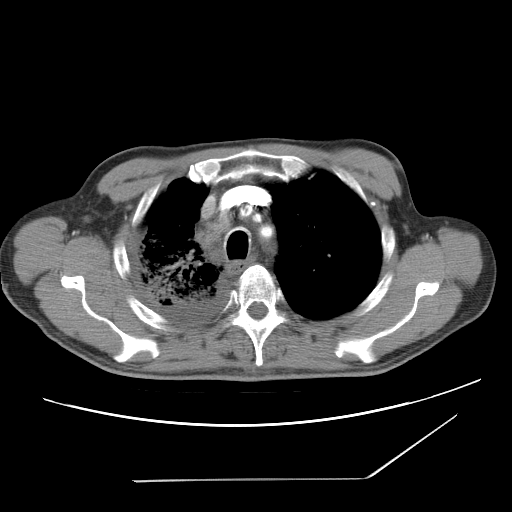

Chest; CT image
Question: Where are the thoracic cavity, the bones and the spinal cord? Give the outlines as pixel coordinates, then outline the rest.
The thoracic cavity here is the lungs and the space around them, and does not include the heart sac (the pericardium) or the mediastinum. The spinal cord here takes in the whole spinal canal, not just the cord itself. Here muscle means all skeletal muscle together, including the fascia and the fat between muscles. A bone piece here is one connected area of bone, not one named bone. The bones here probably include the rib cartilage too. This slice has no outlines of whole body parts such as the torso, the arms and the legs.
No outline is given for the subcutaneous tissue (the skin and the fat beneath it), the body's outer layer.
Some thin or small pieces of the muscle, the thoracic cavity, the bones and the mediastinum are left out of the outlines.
Answer: The thoracic cavity appears in 2 outlined pieces: piece 1: 314 169; 332 173; 353 191; 371 211; 380 232; 381 264; 377 282; 353 309; 328 319; 312 319; 293 311; 278 285; 275 274; 280 244; 272 217; 274 200; 268 187; 276 184; 287 185; 306 175; 310 180; 315 175; 310 171; piece 2: 181 177; 206 186; 207 194; 200 205; 199 216; 194 222; 194 237; 209 255; 209 261; 218 269; 221 267; 237 282; 236 287; 229 292; 220 313; 189 322; 168 319; 149 305; 134 288; 131 271; 131 246; 139 226; 156 198; 172 181. The bones appear in 10 outlined pieces: piece 1: 254 264; 262 265; 269 272; 281 289; 291 310; 289 311; 290 322; 278 324; 264 340; 262 345; 263 362; 260 366; 255 364; 255 349; 249 335; 238 325; 223 328; 221 323; 225 316; 221 311; 229 299; 230 292; 237 287; 241 274 with a hole at 254 302; 256 302; 257 303; 262 303; 266 307; 266 308; 267 309; 267 311; 264 315; 264 316; 263 316; 259 319; 256 319; 255 318; 252 317; 249 314; 249 313; 248 312; 248 308; 251 305; 251 304; 252 304; piece 2: 248 148; 275 155; 294 155; 303 159; 310 166; 309 172; 303 176; 288 182; 284 182; 276 177; 267 177; 260 174; 246 174; 239 178; 230 177; 208 185; 204 183; 193 182; 186 176; 191 164; 209 158; 224 157; piece 3: 62 275; 83 276; 85 298; 90 308; 109 319; 125 333; 153 339; 157 343; 159 354; 153 358; 148 351; 139 351; 124 362; 114 360; 112 357; 122 349; 123 343; 120 336; 107 323; 91 316; 84 309; 79 290; 62 286; 60 281; piece 4: 420 281; 438 281; 437 291; 432 295; 421 296; 417 301; 415 312; 409 320; 372 343; 371 350; 377 359; 376 361; 365 363; 355 354; 349 352; 345 352; 341 357; 335 354; 334 351; 340 341; 369 337; 400 320; 411 309; 415 288; piece 5: 128 295; 132 295; 134 297; 138 299; 147 307; 150 308; 152 310; 155 311; 157 313; 167 319; 168 321; 167 325; 171 329; 171 330; 162 330; 158 328; 155 328; 142 321; 133 312; 133 311; 129 306; 126 300; 126 297; piece 6: 387 272; 391 272; 393 274; 393 276; 392 277; 391 282; 388 287; 388 289; 384 296; 376 305; 375 305; 370 310; 367 311; 364 314; 362 315; 355 315; 356 307; 370 293; 370 292; 374 288; 378 281; piece 7: 159 180; 161 180; 161 184; 160 185; 160 187; 159 188; 159 192; 157 196; 153 201; 148 211; 146 213; 143 221; 138 226; 133 228; 131 225; 131 220; 133 217; 133 215; 136 209; 136 207; 142 195; 148 188; 154 185; piece 8: 118 239; 121 239; 123 241; 125 245; 125 248; 126 249; 128 260; 130 264; 130 272; 126 275; 125 279; 123 279; 120 276; 119 273; 117 271; 115 267; 115 264; 114 263; 114 260; 113 259; 113 246; 114 245; 115 241; piece 9: 334 165; 335 166; 343 168; 346 170; 357 181; 361 187; 362 190; 364 192; 367 198; 367 200; 369 202; 373 202; 374 204; 373 205; 367 205; 353 190; 352 190; 336 175; 335 175; 332 172; 332 170; 331 169; 331 167; piece 10: 385 223; 391 226; 394 230; 394 233; 395 234; 395 245; 394 246; 393 251; 391 254; 391 256; 389 258; 389 259; 386 261; 383 261; 382 260; 382 245; 381 244; 381 232; 380 231; 380 229; 383 225; 383 224. The spinal cord is outlined by 254 302; 256 302; 257 303; 262 303; 266 307; 266 308; 267 309; 267 311; 264 315; 264 316; 263 316; 259 319; 256 319; 255 318; 252 317; 249 314; 249 313; 248 312; 248 308; 251 305; 251 304; 252 304. The mediastinum is outlined by 246 175; 276 178; 288 183; 270 184; 267 187; 273 200; 271 217; 279 244; 279 254; 274 263; 277 284; 270 272; 260 263; 249 265; 237 281; 221 266; 218 268; 210 261; 210 255; 195 237; 195 222; 208 194; 207 186. The muscle is outlined by 259 143; 325 150; 359 147; 386 157; 402 189; 400 197; 387 202; 393 227; 386 222; 379 227; 368 206; 375 203; 343 167; 334 164; 331 172; 311 170; 297 155; 252 147; 198 160; 159 194; 159 179; 141 195; 130 220; 133 229; 138 227; 130 263; 124 241; 118 238; 113 243; 112 259; 119 276; 125 280; 131 272; 133 288; 153 309; 132 294; 125 297; 128 306; 142 322; 162 331; 172 330; 168 320; 189 323; 224 315; 221 327; 238 326; 248 335; 254 364; 260 367; 265 340; 278 325; 291 322; 290 311; 293 318; 312 320; 328 320; 355 308; 355 316; 364 315; 389 289; 394 274; 387 271; 378 278; 382 261; 390 259; 396 241; 401 254; 428 236; 435 238; 440 227; 454 227; 479 239; 483 264; 475 284; 465 290; 455 314; 441 328; 394 350; 379 365; 268 371; 125 368; 60 331; 18 279; 13 239; 32 219; 60 216; 67 223; 67 239; 82 236; 110 242; 123 213; 97 192; 96 185; 116 165; 139 156; 170 157 with holes at 62 275; 83 276; 85 298; 90 308; 109 319; 125 333; 153 339; 157 343; 159 354; 153 358; 148 351; 139 351; 124 362; 114 360; 112 357; 122 349; 123 343; 120 336; 107 323; 91 316; 84 309; 79 290; 62 286; 60 281 and at 420 281; 438 281; 437 291; 432 295; 421 296; 417 301; 415 312; 409 320; 372 343; 371 350; 377 359; 376 361; 365 363; 355 354; 349 352; 345 352; 341 357; 335 354; 334 351; 340 341; 369 337; 400 320; 411 309; 415 288.